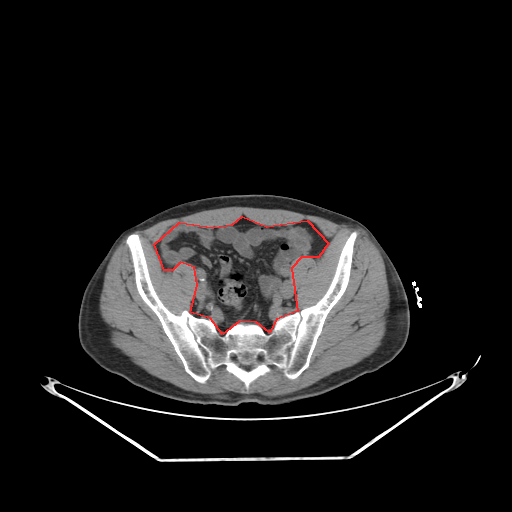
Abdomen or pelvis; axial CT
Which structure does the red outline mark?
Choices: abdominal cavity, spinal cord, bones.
red: abdominal cavity.
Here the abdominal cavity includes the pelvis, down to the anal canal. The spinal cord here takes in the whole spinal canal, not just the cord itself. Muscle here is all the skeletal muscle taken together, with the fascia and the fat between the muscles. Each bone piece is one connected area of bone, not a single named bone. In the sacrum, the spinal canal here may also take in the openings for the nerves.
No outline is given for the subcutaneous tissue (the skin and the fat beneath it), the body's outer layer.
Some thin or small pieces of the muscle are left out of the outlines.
{"abdominal_cavity":[[[242,216],[266,226],[307,220],[328,243],[318,257],[301,257],[291,268],[297,311],[276,319],[269,332],[256,322],[239,321],[222,334],[210,318],[190,312],[197,285],[194,267],[180,262],[172,270],[164,270],[154,244],[179,222],[213,227],[232,224]]],"spinal_cord":[[[260,352],[262,352],[263,353],[261,362],[259,364],[249,370],[247,370],[240,366],[238,366],[234,362],[231,357],[231,355],[232,354],[234,354],[236,358],[242,364],[244,365],[249,365],[255,362],[258,359],[259,353]]],"bones":[{"outer":[[352,231],[358,234],[349,280],[324,321],[308,367],[289,379],[272,366],[247,389],[224,365],[205,383],[185,371],[138,293],[126,244],[130,234],[138,234],[153,287],[174,314],[187,310],[210,319],[222,335],[239,322],[269,333],[276,320],[322,297]],"hole":[[260,352],[262,352],[263,353],[261,362],[259,364],[249,370],[247,370],[240,366],[238,366],[234,362],[231,357],[231,355],[232,354],[234,354],[236,358],[242,364],[244,365],[249,365],[255,362],[258,359],[259,353]]}],"muscle":[[[229,206],[284,209],[360,226],[380,252],[389,290],[385,336],[377,349],[311,385],[267,396],[186,390],[150,374],[115,347],[101,317],[99,300],[107,265],[121,240],[129,234],[125,244],[137,293],[157,317],[184,371],[196,382],[205,384],[213,370],[224,366],[247,390],[255,380],[271,372],[272,367],[281,370],[289,380],[309,367],[325,321],[348,286],[359,233],[352,230],[346,238],[321,297],[299,310],[292,268],[301,258],[318,258],[329,243],[315,223],[303,219],[287,225],[266,225],[244,215],[232,223],[213,226],[179,221],[153,244],[164,271],[172,271],[180,263],[190,264],[194,269],[196,285],[190,309],[177,314],[157,293],[141,238],[132,232],[163,220]]],"torso":[[[250,193],[275,194],[307,201],[358,220],[371,231],[396,268],[408,297],[410,326],[403,350],[376,371],[321,395],[279,405],[244,402],[226,406],[182,402],[138,387],[97,364],[80,345],[78,314],[84,289],[116,238],[127,228],[169,207],[201,198]]]}